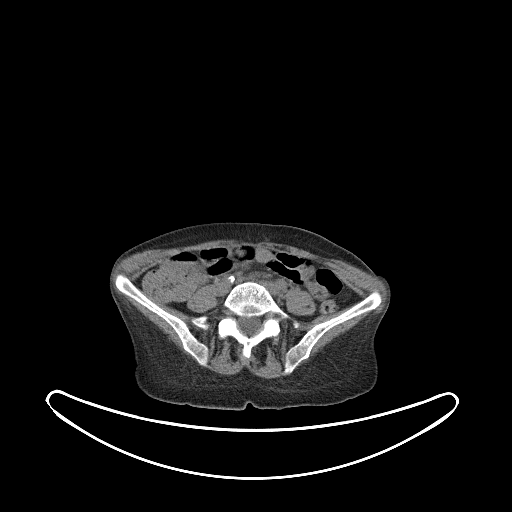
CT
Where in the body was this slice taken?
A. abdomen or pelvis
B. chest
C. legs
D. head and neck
A. abdomen or pelvis
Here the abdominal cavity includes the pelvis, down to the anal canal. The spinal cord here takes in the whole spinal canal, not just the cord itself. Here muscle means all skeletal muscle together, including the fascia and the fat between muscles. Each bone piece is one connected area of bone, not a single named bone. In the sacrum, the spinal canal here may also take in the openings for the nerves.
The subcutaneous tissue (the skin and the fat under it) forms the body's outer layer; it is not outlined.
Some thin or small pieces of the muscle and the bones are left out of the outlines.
The abdominal cavity is outlined by 238 244; 324 264; 360 299; 333 315; 306 321; 296 317; 316 309; 307 291; 291 287; 284 296; 286 312; 263 284; 246 280; 231 288; 222 305; 214 285; 197 289; 186 305; 201 315; 156 303; 135 284; 141 273; 182 251. The torso is outlined by 224 221; 285 224; 307 229; 351 251; 387 279; 391 298; 374 338; 378 377; 372 389; 332 405; 260 409; 249 403; 242 410; 227 410; 160 401; 146 395; 137 386; 132 343; 108 287; 108 275; 114 261; 125 250; 162 233; 195 224. The spinal cord is outlined by 240 317; 246 317; 247 318; 250 318; 251 317; 259 317; 261 320; 261 327; 259 329; 259 330; 256 333; 255 333; 252 335; 247 335; 246 334; 245 334; 240 329; 240 328; 239 327; 239 325; 238 324; 238 320. The muscle appears in 2 outlined pieces: piece 1: 114 285; 124 295; 164 320; 176 333; 182 348; 202 367; 208 364; 208 347; 193 334; 183 319; 158 304; 195 316; 191 318; 191 323; 207 330; 210 327; 208 316; 192 311; 187 302; 203 286; 214 286; 217 305; 223 307; 223 315; 217 322; 217 335; 221 339; 229 336; 234 338; 242 345; 241 354; 246 359; 250 358; 253 347; 280 333; 280 321; 290 318; 286 310; 285 296; 291 288; 307 292; 315 304; 311 314; 296 316; 298 320; 309 322; 318 316; 325 316; 330 317; 348 308; 328 319; 314 324; 287 350; 283 363; 283 374; 286 376; 266 379; 245 369; 236 374; 222 375; 201 367; 186 357; 151 321; 133 306; 127 305; 116 292; piece 2: 218 239; 235 239; 254 243; 261 241; 270 241; 294 246; 325 258; 342 260; 377 277; 383 282; 386 289; 386 299; 384 305; 377 314; 368 319; 363 319; 350 329; 334 338; 311 360; 294 371; 304 360; 310 356; 313 347; 326 332; 339 324; 372 311; 378 307; 383 299; 381 293; 377 289; 375 289; 361 299; 357 292; 351 289; 329 266; 324 263; 309 257; 247 243; 238 243; 231 246; 215 249; 201 248; 182 250; 172 255; 166 256; 154 265; 150 266; 145 271; 141 272; 134 279; 134 284; 126 275; 122 273; 117 273; 115 275; 113 283; 113 274; 117 265; 122 259; 134 253; 141 252; 147 249; 168 249; 189 246. The bones appear in 4 outlined pieces: piece 1: 246 281; 254 281; 263 285; 269 291; 275 302; 289 315; 289 318; 279 321; 280 331; 276 336; 267 337; 252 347; 249 358; 243 356; 243 345; 234 337; 229 335; 221 338; 218 335; 218 322; 224 315; 223 303; 225 298; 235 285 with a hole at 240 317; 246 317; 247 318; 250 318; 251 317; 259 317; 261 320; 261 327; 259 329; 259 330; 256 333; 255 333; 252 335; 247 335; 246 334; 245 334; 240 329; 240 328; 239 327; 239 325; 238 324; 238 320; piece 2: 375 290; 377 290; 380 293; 382 298; 378 306; 372 310; 364 312; 330 328; 314 344; 310 351; 309 356; 304 359; 291 373; 286 375; 284 374; 284 363; 286 353; 290 348; 299 341; 302 336; 309 329; 318 323; 328 320; 342 313; piece 3: 117 274; 122 274; 126 276; 149 299; 153 301; 167 312; 180 318; 184 321; 192 334; 200 342; 203 343; 207 347; 208 360; 206 366; 200 365; 183 348; 182 342; 177 333; 164 319; 134 299; 124 294; 115 286; 114 280; piece 4: 202 315; 206 315; 208 318; 207 319; 207 321; 209 324; 209 327; 207 329; 203 329; 200 327; 198 327; 197 326; 196 326; 195 325; 194 325; 192 323; 192 318; 193 318; 194 317; 197 317; 198 316; 201 316.